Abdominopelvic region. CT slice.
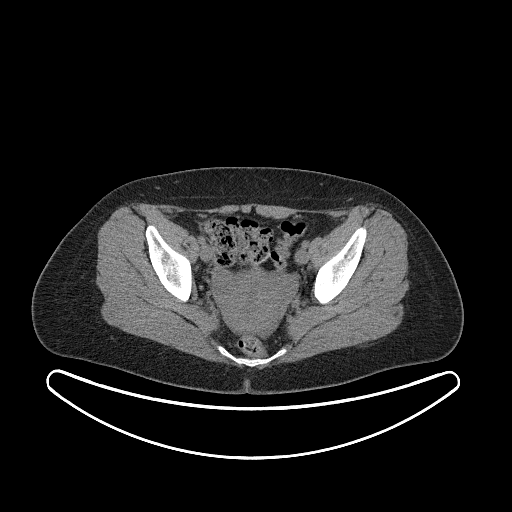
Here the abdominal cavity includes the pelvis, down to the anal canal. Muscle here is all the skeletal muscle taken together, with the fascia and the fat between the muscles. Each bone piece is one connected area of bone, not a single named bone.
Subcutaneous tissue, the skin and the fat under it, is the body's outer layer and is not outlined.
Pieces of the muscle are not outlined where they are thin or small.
Outlines (x, y in pixels):
bones 1: 148 225; 153 225; 157 229; 162 238; 174 250; 182 254; 189 260; 191 265; 192 285; 191 286; 190 295; 187 301; 182 301; 170 293; 161 283; 158 276; 156 274; 149 258; 148 247; 147 246; 146 237; 145 236; 145 230; 146 227
bones 2: 361 226; 364 226; 366 229; 366 237; 365 238; 365 242; 363 245; 360 259; 354 272; 352 274; 345 287; 336 296; 326 303; 323 304; 320 303; 315 297; 313 292; 314 281; 319 268; 326 261; 335 255; 344 246; 355 230
bones 3: 218 345; 223 346; 229 353; 235 357; 255 357; 256 358; 265 358; 272 355; 282 347; 286 349; 286 352; 283 355; 281 355; 269 361; 265 364; 250 367; 243 364; 239 365; 232 359; 221 354; 217 349; 217 346
abdominal cavity: 253 209; 261 216; 275 219; 310 213; 339 221; 327 234; 309 242; 309 259; 317 271; 312 290; 287 320; 286 337; 280 347; 261 357; 235 356; 222 345; 220 322; 199 298; 193 278; 198 242; 171 219; 182 212; 227 214; 249 213
torso: 214 166; 313 170; 371 183; 396 196; 429 230; 456 280; 463 304; 463 329; 453 350; 436 361; 392 368; 340 385; 277 394; 226 394; 183 388; 47 350; 33 328; 31 298; 42 269; 65 234; 97 201; 124 183; 152 175
muscle: 130 202; 200 209; 246 203; 299 209; 348 208; 366 202; 380 204; 407 234; 409 288; 402 299; 402 321; 390 333; 365 344; 330 350; 262 369; 239 368; 206 360; 124 332; 105 322; 100 314; 103 297; 95 282; 97 233; 114 210 with a hole at 253 209; 261 216; 275 219; 310 213; 338 220; 339 224; 327 234; 316 236; 308 244; 309 259; 316 271; 357 228; 364 226; 366 237; 358 264; 345 287; 323 304; 312 290; 285 324; 286 337; 280 347; 286 352; 250 367; 239 365; 217 349; 222 344; 220 322; 199 298; 193 278; 187 301; 164 287; 150 261; 145 230; 153 225; 193 266; 198 242; 172 218; 182 212; 227 214; 249 213